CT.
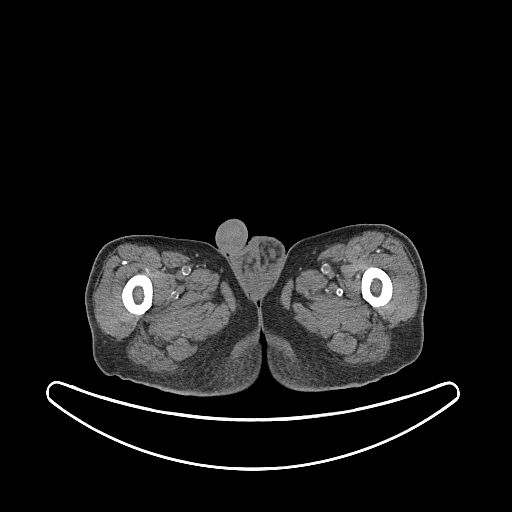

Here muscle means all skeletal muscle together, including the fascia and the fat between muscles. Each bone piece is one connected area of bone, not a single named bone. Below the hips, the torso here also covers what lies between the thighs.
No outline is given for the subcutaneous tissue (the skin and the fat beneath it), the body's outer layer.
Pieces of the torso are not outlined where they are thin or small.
Outlines (x, y in pixels):
muscle 1: 126 240; 142 240; 164 250; 189 254; 225 278; 237 300; 236 310; 230 318; 229 323; 209 344; 194 364; 181 374; 162 375; 138 367; 127 358; 124 348; 121 345; 112 341; 108 335; 102 332; 96 321; 92 296; 100 267; 109 253, around a hole outlined by 139 273; 147 274; 151 280; 151 282; 152 283; 152 288; 153 289; 153 294; 152 295; 152 304; 151 306; 143 314; 141 315; 137 315; 136 314; 131 313; 128 311; 124 306; 122 301; 122 298; 121 297; 122 289; 127 280; 132 276
muscle 2: 368 230; 390 233; 408 246; 414 258; 419 279; 418 305; 415 315; 395 332; 390 353; 384 360; 375 365; 345 367; 329 362; 324 357; 323 352; 310 335; 293 320; 280 302; 281 289; 287 279; 304 265; 311 255; 320 247; inner edge: 371 266; 378 267; 384 270; 388 274; 392 283; 392 295; 391 296; 391 298; 387 303; 386 303; 382 306; 379 306; 378 307; 373 307; 363 298; 362 294; 361 293; 361 277; 362 276; 362 274; 363 272; 368 267; 370 267
right leg: 132 234; 152 234; 205 241; 228 260; 242 288; 259 309; 262 363; 259 377; 253 385; 243 391; 229 395; 181 395; 130 380; 123 380; 115 375; 106 375; 99 369; 92 354; 92 335; 84 302; 85 288; 94 259; 102 246; 115 238
torso: 230 218; 237 218; 245 224; 247 228; 247 234; 249 238; 253 235; 273 236; 279 239; 283 243; 284 247; 287 250; 283 267; 275 282; 262 299; 259 308; 253 302; 243 288; 229 260; 214 246; 216 244; 215 234; 218 226; 222 222
left leg: 361 223; 390 225; 404 233; 418 251; 427 284; 421 353; 415 361; 397 372; 359 387; 326 391; 298 391; 283 387; 272 378; 268 370; 266 342; 262 334; 260 315; 262 301; 276 282; 284 267; 287 252; 295 242; 338 227
bones 1: 139 273; 147 274; 151 280; 151 282; 152 283; 152 288; 153 289; 153 294; 152 295; 152 304; 151 306; 143 314; 141 315; 137 315; 136 314; 131 313; 128 311; 124 306; 122 301; 122 298; 121 297; 122 289; 127 280; 132 276
bones 2: 371 266; 378 267; 384 270; 388 274; 392 283; 392 295; 391 296; 391 298; 387 303; 386 303; 382 306; 379 306; 378 307; 373 307; 363 298; 362 294; 361 293; 361 277; 362 276; 362 274; 363 272; 368 267; 370 267